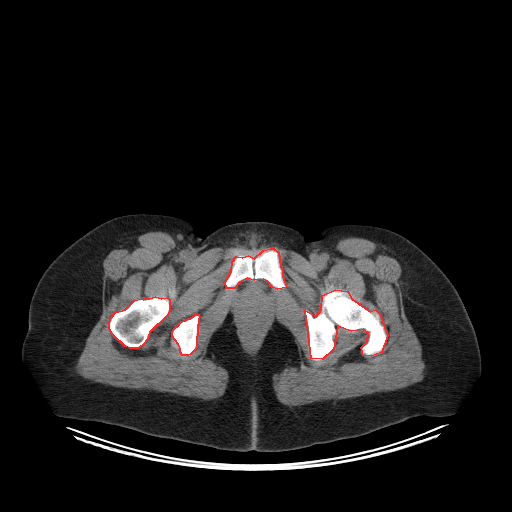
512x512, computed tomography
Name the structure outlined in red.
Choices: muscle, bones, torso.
red: bones.
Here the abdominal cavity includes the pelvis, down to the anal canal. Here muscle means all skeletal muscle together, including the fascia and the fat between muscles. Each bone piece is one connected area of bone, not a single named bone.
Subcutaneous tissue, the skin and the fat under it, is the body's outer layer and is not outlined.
{"bones":[[[335,289],[347,291],[351,298],[365,308],[370,311],[375,309],[379,313],[387,335],[381,352],[371,356],[363,355],[361,347],[367,341],[368,333],[363,329],[351,331],[337,326],[333,349],[322,359],[311,358],[305,310],[316,316],[321,309],[322,295]],[[155,296],[161,298],[167,297],[169,299],[169,310],[167,315],[149,332],[147,339],[142,345],[137,348],[130,348],[125,346],[113,335],[109,328],[109,322],[111,317],[115,312],[125,309],[134,300],[141,298],[143,299],[144,298],[149,298]],[[270,248],[273,248],[278,252],[280,266],[282,269],[282,276],[286,287],[277,289],[272,287],[267,281],[263,279],[254,280],[247,278],[239,282],[234,288],[226,288],[225,281],[231,271],[232,261],[236,256],[242,257],[248,255],[254,258],[263,250]],[[195,314],[198,314],[199,316],[198,318],[198,324],[197,325],[196,346],[194,350],[190,354],[188,355],[182,355],[180,352],[180,348],[178,344],[172,336],[172,331],[173,329],[176,326],[177,326],[181,321],[183,320],[185,320],[188,318],[190,318]]],"torso":[[[135,213],[182,218],[202,238],[222,226],[247,221],[281,224],[307,241],[338,224],[394,231],[428,255],[456,288],[476,333],[480,377],[453,415],[416,416],[358,437],[277,452],[224,450],[59,417],[21,357],[32,294],[48,265],[74,241],[109,219]]],"abdominal_cavity":[[[247,279],[254,281],[263,280],[267,282],[274,289],[277,299],[277,305],[273,312],[271,321],[269,322],[265,331],[263,332],[259,343],[257,344],[257,347],[253,351],[248,351],[242,341],[241,334],[236,323],[236,315],[233,306],[236,287],[239,283]]],"muscle":[{"outer":[[149,231],[166,232],[199,254],[217,247],[277,246],[306,259],[311,252],[324,251],[351,236],[390,247],[402,269],[399,280],[404,311],[421,344],[424,378],[396,390],[289,407],[277,399],[272,377],[285,367],[299,363],[294,336],[275,318],[253,357],[241,346],[231,312],[212,334],[206,352],[208,358],[228,373],[225,392],[218,398],[202,400],[116,387],[84,378],[76,372],[75,365],[102,312],[103,260],[111,250]],"holes":[[[270,248],[278,252],[282,276],[286,287],[274,289],[277,305],[271,321],[263,332],[257,347],[253,351],[248,351],[242,341],[236,323],[233,306],[236,288],[226,288],[225,281],[231,271],[232,261],[236,256],[242,257],[248,255],[254,258],[263,250]],[[335,289],[347,291],[351,298],[365,308],[370,311],[375,309],[379,313],[387,335],[381,352],[371,356],[363,355],[361,347],[367,341],[368,333],[363,329],[351,331],[337,326],[333,349],[322,359],[311,358],[305,310],[316,316],[321,309],[322,295]],[[155,296],[161,298],[167,297],[169,299],[169,310],[167,315],[149,332],[147,339],[142,345],[137,348],[130,348],[125,346],[113,335],[109,328],[109,322],[111,317],[115,312],[125,309],[134,300],[141,298],[143,299],[144,298],[149,298]],[[195,314],[198,314],[199,316],[198,318],[198,324],[197,325],[196,346],[194,350],[190,354],[188,355],[182,355],[180,352],[180,348],[178,344],[172,336],[172,331],[173,329],[176,326],[177,326],[181,321],[183,320],[185,320],[188,318],[190,318]]]}]}